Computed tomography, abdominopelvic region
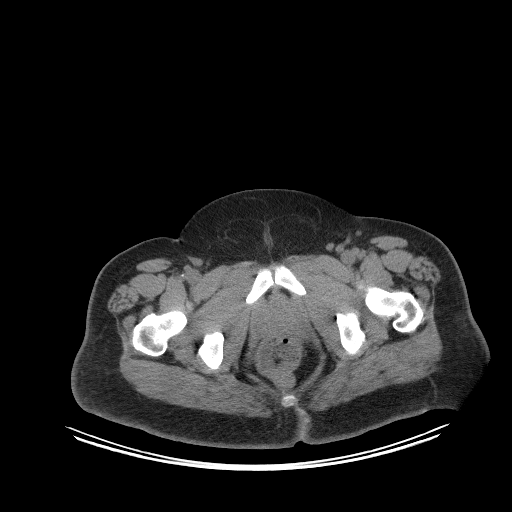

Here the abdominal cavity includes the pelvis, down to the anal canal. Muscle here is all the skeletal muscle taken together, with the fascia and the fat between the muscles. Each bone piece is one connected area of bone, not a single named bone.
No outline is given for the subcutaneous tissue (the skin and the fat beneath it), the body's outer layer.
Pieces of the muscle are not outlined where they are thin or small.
The torso is outlined by [[255,188],[313,193],[357,215],[411,223],[445,243],[460,268],[472,315],[490,352],[477,383],[457,411],[432,409],[328,443],[298,441],[288,448],[231,449],[159,437],[78,405],[70,372],[102,266],[143,240],[176,237],[192,214],[208,202]]. The bones appear in 6 outlined pieces: piece 1: [[367,286],[378,286],[388,291],[402,290],[410,292],[413,294],[418,301],[420,306],[423,309],[424,319],[417,326],[415,330],[411,332],[403,333],[397,331],[392,326],[392,318],[391,317],[386,316],[380,317],[372,313],[368,309],[364,301],[364,294]]; piece 2: [[174,309],[178,309],[184,312],[187,318],[187,323],[183,329],[178,334],[176,334],[169,338],[167,348],[163,354],[159,356],[150,356],[144,354],[133,347],[131,343],[131,333],[132,332],[132,329],[144,316],[151,312],[154,312],[156,314],[160,314]]; piece 3: [[279,264],[284,265],[294,274],[304,286],[306,290],[306,294],[302,296],[297,295],[291,293],[287,289],[279,285],[274,284],[255,302],[249,305],[246,304],[245,303],[246,296],[251,288],[259,269],[263,267],[268,267],[271,271],[273,271],[274,267]]; piece 4: [[349,311],[356,311],[357,312],[358,314],[358,317],[359,318],[359,321],[360,322],[360,327],[365,334],[365,341],[361,345],[357,353],[353,355],[349,355],[343,348],[340,342],[339,330],[338,329],[338,327],[336,323],[336,313],[337,312],[345,313]]; piece 5: [[215,330],[220,330],[222,332],[223,336],[224,337],[224,341],[223,342],[223,359],[220,364],[220,366],[217,369],[211,369],[209,367],[208,367],[197,355],[197,350],[200,344],[202,342],[203,336],[205,334],[205,333],[207,333],[208,332],[212,332]]; piece 6: [[286,394],[293,394],[296,397],[296,398],[297,399],[297,401],[296,402],[296,403],[294,405],[293,405],[292,406],[289,406],[288,407],[284,407],[283,406],[282,406],[280,404],[280,403],[279,402],[280,401],[281,398],[284,395],[285,395]]. The abdominal cavity is outlined by [[280,288],[287,290],[301,309],[307,327],[309,328],[309,330],[316,340],[320,356],[315,371],[311,375],[295,387],[283,391],[278,391],[271,384],[251,370],[251,357],[254,350],[254,314],[256,309],[264,299],[264,294],[269,289],[274,290]]. The muscle is outlined by [[381,235],[407,238],[440,270],[441,279],[435,288],[434,319],[442,342],[442,353],[438,362],[439,369],[429,376],[379,388],[322,411],[289,407],[294,406],[298,399],[293,393],[286,393],[278,402],[287,408],[269,417],[246,417],[188,408],[148,398],[138,393],[121,375],[118,369],[122,344],[112,314],[107,309],[107,302],[123,275],[134,264],[162,257],[209,271],[222,264],[240,261],[267,263],[289,255],[332,256]]; inner edges: [[279,264],[287,267],[306,290],[305,295],[292,293],[291,297],[303,313],[307,327],[316,340],[320,356],[311,375],[295,387],[283,391],[278,391],[251,370],[254,314],[265,297],[262,295],[249,305],[245,303],[259,269],[268,267],[273,271]], then [[367,286],[378,286],[388,291],[402,290],[410,292],[413,294],[418,301],[420,306],[423,309],[424,319],[417,326],[415,330],[411,332],[403,333],[397,331],[392,326],[392,318],[391,317],[386,316],[380,317],[372,313],[368,309],[364,301],[364,294]], then [[174,309],[178,309],[184,312],[187,318],[187,323],[183,329],[178,334],[176,334],[169,338],[167,348],[163,354],[159,356],[150,356],[144,354],[133,347],[131,343],[131,333],[132,332],[132,329],[144,316],[151,312],[154,312],[156,314],[160,314]], then [[349,311],[356,311],[357,312],[358,314],[358,317],[359,318],[359,321],[360,322],[360,327],[365,334],[365,341],[361,345],[357,353],[353,355],[349,355],[343,348],[340,342],[339,330],[338,329],[338,327],[336,323],[336,313],[337,312],[345,313]], then [[215,330],[220,330],[222,332],[223,336],[224,337],[224,341],[223,342],[223,359],[220,364],[220,366],[217,369],[211,369],[209,367],[208,367],[197,355],[197,350],[200,344],[202,342],[203,336],[205,334],[205,333],[207,333],[208,332],[212,332]].